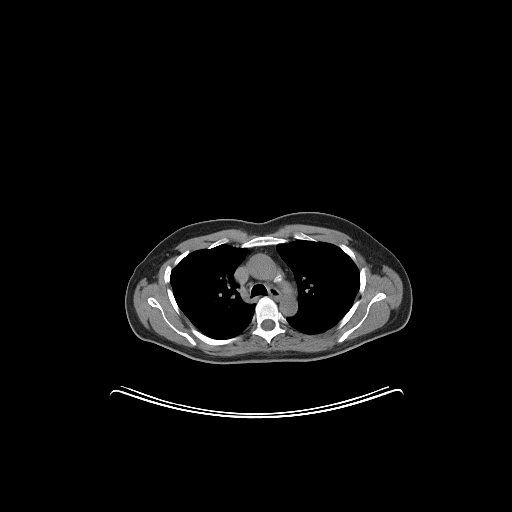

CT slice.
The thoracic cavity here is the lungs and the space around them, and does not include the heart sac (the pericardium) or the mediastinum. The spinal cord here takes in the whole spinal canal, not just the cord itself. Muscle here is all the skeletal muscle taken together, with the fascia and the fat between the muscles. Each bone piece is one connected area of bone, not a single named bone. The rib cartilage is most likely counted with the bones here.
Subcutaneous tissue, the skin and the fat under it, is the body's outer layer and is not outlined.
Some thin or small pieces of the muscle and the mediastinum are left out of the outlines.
The torso is outlined by 300,211 324,212 345,218 367,231 398,258 408,275 412,290 411,313 400,330 338,355 315,361 239,364 213,364 190,359 144,341 133,332 124,305 128,280 135,267 166,236 180,227 203,220 234,218 264,222. The muscle is outlined by 288,224 320,226 343,232 352,239 352,247 371,265 373,273 381,264 386,264 398,274 403,285 401,306 390,314 381,327 345,340 367,318 373,303 387,296 382,291 378,291 369,300 361,318 336,339 340,343 320,352 285,350 255,351 233,356 211,355 156,335 140,321 133,304 135,288 144,277 149,283 156,281 161,265 177,252 174,250 175,246 189,238 224,229 240,229 258,235 239,244 230,244 229,239 223,236 203,248 192,251 188,248 164,269 163,280 170,286 166,288 168,299 175,312 179,314 181,311 193,325 190,326 190,332 205,344 222,346 238,341 240,334 249,326 252,335 261,337 268,344 275,336 284,334 289,326 305,334 322,333 335,326 340,329 353,316 362,301 356,297 358,293 364,293 366,269 364,266 358,268 354,251 344,243 335,245 302,231 294,231 293,239 290,240 287,237 266,234 with a hole at 149,297 153,297 157,300 162,307 166,318 171,324 172,324 178,330 182,332 187,333 194,339 196,343 194,346 192,345 191,343 184,336 177,333 167,324 162,316 161,311 157,307 153,307 148,303 147,299. The thoracic cavity appears in 2 outlined pieces: piece 1: 223,244 229,244 234,248 247,249 243,259 233,273 233,278 239,284 242,300 247,304 254,303 255,305 250,323 242,332 228,338 213,338 198,330 180,309 170,285 170,278 173,268 191,252 200,249 211,249; piece 2: 291,240 306,240 312,242 320,241 337,246 352,260 358,269 359,286 358,292 353,303 336,325 322,332 318,333 302,332 290,326 285,317 292,317 298,311 298,288 292,270 281,257 276,247 279,244 284,244. The mediastinum is outlined by 270,245 276,245 275,247 276,251 291,270 295,280 297,288 297,311 292,316 284,316 279,310 278,305 268,296 261,297 255,303 245,302 243,300 240,291 240,284 234,278 234,273 244,259 247,250 249,248. The bones appear in 12 outlined pieces: piece 1: 263,297 268,297 270,298 277,305 278,310 286,319 288,323 288,326 286,331 284,333 279,333 275,335 271,339 269,343 261,336 257,334 252,334 250,332 250,329 251,328 250,324 253,315 255,312 256,303; inner edge: 268,319 269,320 271,320 272,321 273,321 273,322 274,323 274,326 271,329 264,329 261,326 261,324 262,323 262,322 263,321 264,321 265,320 267,320; piece 2: 261,235 270,235 273,237 277,237 278,238 287,238 289,241 284,243 279,243 278,244 270,244 269,245 260,245 259,246 253,246 248,248 246,248 245,247 240,247 240,244 244,242 246,242 256,236 260,236; piece 3: 378,292 382,292 384,293 386,296 381,300 378,300 373,302 369,308 369,311 366,318 362,322 362,323 357,328 351,332 342,342 338,342 337,341 337,339 345,331 354,326 362,318 366,311 366,308 368,303; piece 4: 191,326 193,326 198,331 204,335 208,337 210,337 213,339 228,339 232,337 235,337 238,335 240,336 240,338 238,340 231,343 227,343 226,344 223,344 222,345 210,345 207,343 205,343 196,337 191,332; piece 5: 149,297 153,297 157,300 162,307 166,318 171,324 172,324 178,330 182,332 187,333 194,339 196,343 194,346 192,345 191,343 184,336 177,333 167,324 162,316 161,311 157,307 153,307 148,303 147,299; piece 6: 188,249 190,251 190,252 187,255 186,255 183,258 182,258 180,260 180,261 172,268 171,272 170,273 170,277 169,278 169,283 166,283 164,280 164,272 165,271 165,269 167,265 172,265 177,256; piece 7: 357,299 361,299 361,301 359,303 358,306 356,308 354,313 348,320 348,321 347,321 340,328 339,328 338,329 336,327 337,324 339,322 339,321 344,316 344,315 350,309 350,308 354,303 355,300 356,300; piece 8: 362,267 364,267 364,268 365,269 365,287 364,288 364,289 363,290 363,293 362,294 360,294 359,293 359,287 360,286 360,275 359,274 359,270; piece 9: 294,232 302,232 303,233 304,233 305,234 306,234 307,235 309,235 310,236 312,236 313,237 315,237 318,240 317,241 312,241 311,240 307,240 306,239 294,239 293,238 293,234 294,233; piece 10: 339,244 344,244 345,245 346,245 347,246 348,246 353,251 353,252 354,253 354,254 355,255 355,257 356,258 356,263 355,263 353,261 353,260 345,252 344,252 338,246 338,245; piece 11: 168,287 170,287 171,288 171,290 172,291 172,293 173,294 173,296 175,299 175,301 180,310 180,312 179,313 177,313 176,312 176,311 174,309 174,308 169,299 169,297 168,296 168,294 167,293 167,288; piece 12: 223,237 226,237 228,239 228,242 227,243 223,243 222,244 220,244 219,245 217,245 216,246 214,246 211,248 204,248 205,248 206,247 206,246 209,245 211,243 212,243 213,242 215,242 220,238 222,238. The spinal cord is outlined by 268,319 269,320 271,320 272,321 273,321 273,322 274,323 274,326 271,329 264,329 261,326 261,324 262,323 262,322 263,321 264,321 265,320 267,320.